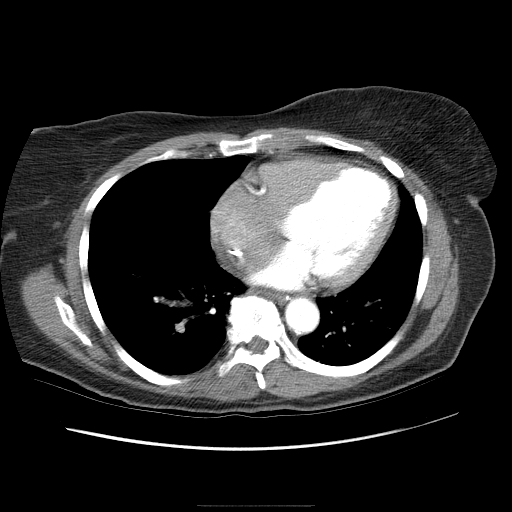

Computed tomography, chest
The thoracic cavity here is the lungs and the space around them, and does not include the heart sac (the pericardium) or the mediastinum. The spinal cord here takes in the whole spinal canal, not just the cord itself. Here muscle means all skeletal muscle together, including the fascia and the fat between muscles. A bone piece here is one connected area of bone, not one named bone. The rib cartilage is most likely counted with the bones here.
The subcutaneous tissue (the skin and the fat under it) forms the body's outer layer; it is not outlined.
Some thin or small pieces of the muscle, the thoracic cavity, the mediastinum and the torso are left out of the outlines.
{"torso":[[[366,85],[429,91],[463,106],[496,168],[493,189],[479,203],[494,242],[495,272],[464,343],[448,368],[391,395],[328,411],[276,409],[227,414],[128,405],[22,360],[4,303],[0,245],[9,186],[34,128],[131,110],[197,115],[255,114],[318,91]]],"mediastinum":[[[243,282],[251,286],[265,288],[274,292],[280,293],[313,292],[326,296],[318,296],[315,299],[315,302],[319,310],[319,322],[316,328],[310,333],[302,335],[297,340],[296,345],[290,339],[275,304],[271,300],[259,295],[241,294],[246,290],[246,286]],[[313,145],[324,146],[327,148],[334,148],[336,150],[356,152],[363,154],[377,162],[379,162],[395,178],[401,182],[398,183],[397,185],[396,182],[381,167],[375,163],[357,157],[313,151],[275,152],[276,150],[293,149],[301,146],[312,146]],[[211,241],[211,245],[213,249],[215,251],[215,253],[217,255],[218,258],[230,270],[230,271],[232,272],[233,274],[237,276],[240,279],[239,279],[237,277],[235,277],[229,272],[228,272],[220,266],[220,265],[215,258],[215,254],[211,246]],[[258,152],[266,152],[267,153],[268,153],[267,154],[264,154],[263,155],[262,155],[259,158],[252,161],[251,162],[251,163],[250,163],[246,167],[246,166],[250,161],[250,158],[247,155],[246,155],[245,154],[253,154],[254,153],[257,153]]],"muscle":[{"outer":[[276,127],[321,129],[325,131],[338,133],[346,137],[372,141],[393,157],[397,158],[405,165],[411,168],[433,193],[434,197],[442,208],[444,217],[446,220],[447,229],[451,236],[450,246],[452,249],[454,249],[455,247],[458,253],[459,293],[456,309],[451,316],[445,329],[439,337],[423,352],[397,367],[379,375],[373,376],[363,381],[355,387],[351,387],[346,390],[320,392],[314,395],[306,396],[304,398],[292,399],[283,399],[279,396],[262,391],[259,395],[250,399],[241,399],[230,402],[219,402],[210,398],[203,397],[186,398],[182,396],[156,393],[134,387],[125,383],[117,382],[113,379],[108,379],[103,375],[91,371],[82,365],[78,364],[76,361],[65,354],[61,348],[51,342],[32,322],[21,298],[21,287],[24,279],[33,270],[50,262],[55,266],[56,271],[58,269],[61,270],[62,269],[62,251],[64,248],[63,240],[65,236],[65,232],[71,221],[74,211],[79,206],[92,183],[111,166],[141,148],[154,142],[173,136],[186,135],[201,131],[204,132],[221,131],[243,136],[258,128]],"holes":[[[266,132],[298,138],[299,147],[314,144],[302,138],[306,134],[328,135],[363,147],[363,154],[377,162],[384,155],[401,167],[404,177],[399,181],[412,197],[415,192],[422,194],[427,207],[421,234],[429,274],[421,298],[410,306],[399,327],[403,334],[398,343],[360,374],[322,375],[292,366],[281,355],[264,366],[265,388],[261,389],[250,364],[236,363],[223,376],[217,374],[213,367],[223,358],[225,344],[200,369],[172,374],[187,381],[166,386],[152,383],[120,359],[113,346],[115,337],[108,328],[101,333],[90,314],[79,265],[82,229],[92,217],[85,214],[86,205],[103,181],[119,172],[124,176],[170,148],[191,151],[194,157],[215,151],[220,139],[241,140]],[[56,295],[59,296],[63,300],[64,302],[69,304],[71,306],[74,312],[75,318],[79,327],[88,336],[92,343],[92,346],[88,346],[84,344],[80,340],[80,339],[65,324],[63,323],[61,319],[61,317],[59,314],[58,308],[54,300],[54,297]]]}],"bones":[{"outer":[[239,295],[271,301],[289,339],[303,354],[327,365],[359,362],[398,330],[403,330],[403,334],[378,363],[352,376],[310,372],[288,364],[281,355],[264,366],[265,388],[261,389],[256,369],[250,364],[236,363],[223,376],[213,367],[223,358],[230,302]],"hole":[[255,336],[258,336],[259,337],[260,337],[262,339],[263,339],[264,340],[265,340],[267,342],[267,346],[263,350],[263,351],[262,352],[253,352],[251,350],[250,350],[249,349],[248,349],[246,346],[246,345],[252,339],[252,338]]},[[266,132],[272,133],[277,136],[298,138],[300,144],[296,147],[276,149],[274,152],[271,153],[266,151],[258,151],[253,153],[244,154],[240,153],[229,156],[222,156],[219,152],[216,151],[217,146],[215,142],[220,139],[223,138],[230,140],[241,140]],[[86,224],[89,224],[89,242],[87,251],[87,274],[86,275],[88,276],[89,281],[91,284],[91,287],[98,309],[107,327],[104,334],[101,333],[92,319],[85,300],[85,296],[82,285],[82,276],[79,265],[79,241],[82,229],[84,225]],[[116,340],[133,358],[146,367],[158,373],[167,376],[173,376],[179,378],[184,378],[186,377],[188,378],[188,380],[182,383],[172,384],[166,386],[152,383],[146,380],[132,370],[120,359],[116,353],[113,346],[113,342]],[[56,295],[59,296],[63,300],[64,302],[69,304],[71,306],[74,312],[75,318],[79,327],[88,336],[92,343],[92,346],[88,346],[84,344],[80,340],[80,339],[65,324],[63,323],[61,319],[61,317],[59,314],[58,308],[54,300],[54,297]],[[306,134],[328,135],[331,137],[337,138],[343,141],[346,141],[349,143],[352,143],[361,146],[365,149],[365,152],[364,153],[361,153],[356,151],[350,151],[349,150],[338,149],[326,145],[317,145],[304,140],[302,137]],[[119,172],[120,173],[122,173],[123,175],[119,179],[118,179],[107,190],[107,191],[103,195],[103,196],[97,203],[92,213],[90,214],[85,214],[85,208],[86,207],[86,205],[90,197],[92,195],[92,194],[94,192],[96,188],[103,181]],[[426,253],[428,254],[429,256],[429,274],[427,279],[427,283],[418,304],[416,306],[412,306],[412,303],[413,302],[415,292],[416,291],[416,287],[417,286],[418,276],[419,275],[419,271],[420,270],[420,266],[421,265],[422,258],[423,257],[423,255]],[[170,148],[174,148],[179,150],[187,150],[188,151],[191,151],[192,152],[192,156],[191,157],[188,157],[187,158],[170,158],[169,159],[156,160],[155,161],[151,161],[148,163],[138,166],[139,163],[142,162],[147,158],[149,158],[152,156],[158,155]],[[415,192],[419,192],[421,194],[422,194],[426,202],[426,206],[427,207],[427,221],[424,227],[422,227],[421,225],[420,219],[419,218],[419,216],[418,215],[418,213],[417,212],[417,210],[415,206],[415,203],[414,202],[414,199],[413,198],[413,196]],[[380,155],[384,155],[387,157],[389,157],[390,158],[391,158],[394,161],[395,161],[401,167],[401,168],[403,171],[403,173],[404,174],[404,177],[401,179],[399,179],[398,178],[397,178],[396,177],[395,177],[381,163],[381,162],[378,159],[378,157]]],"spinal_cord":[[[255,336],[258,336],[259,337],[260,337],[262,339],[263,339],[264,340],[265,340],[267,342],[267,346],[263,350],[263,351],[262,352],[253,352],[251,350],[250,350],[249,349],[248,349],[246,346],[246,345],[252,339],[252,338]]],"pericardium":[[[290,152],[313,152],[365,160],[385,171],[396,184],[399,207],[393,227],[385,243],[369,267],[353,283],[335,294],[324,295],[313,291],[280,292],[248,284],[231,271],[219,258],[212,245],[210,233],[211,210],[228,186],[252,162],[262,156],[272,153]]],"thoracic_cavity":[[[214,151],[221,157],[241,154],[249,158],[238,177],[209,211],[209,239],[214,258],[222,269],[242,282],[245,290],[229,302],[226,342],[221,350],[200,369],[167,375],[133,357],[108,328],[88,274],[90,222],[108,190],[136,168],[151,162],[187,159]],[[400,183],[413,199],[422,235],[422,257],[415,291],[404,320],[383,345],[354,363],[332,365],[309,357],[298,348],[297,344],[302,336],[313,332],[320,322],[320,310],[316,299],[335,297],[353,284],[376,259],[390,237],[399,215],[401,202],[397,186]]]}